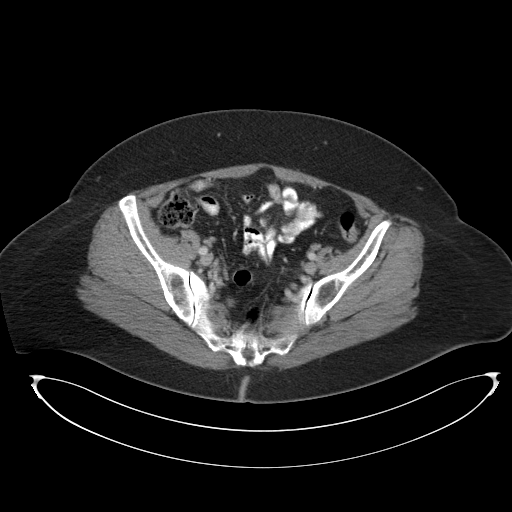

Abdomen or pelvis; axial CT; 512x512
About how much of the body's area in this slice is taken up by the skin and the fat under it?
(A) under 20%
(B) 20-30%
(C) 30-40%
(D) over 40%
(D) over 40%
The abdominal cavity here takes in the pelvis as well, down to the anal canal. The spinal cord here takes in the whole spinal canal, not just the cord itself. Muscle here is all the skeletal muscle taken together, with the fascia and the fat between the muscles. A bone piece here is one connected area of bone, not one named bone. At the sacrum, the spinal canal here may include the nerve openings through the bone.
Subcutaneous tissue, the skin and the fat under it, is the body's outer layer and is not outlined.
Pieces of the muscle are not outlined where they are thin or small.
The spinal cord appears in 3 outlined pieces: piece 1: (246, 348) (248, 348) (249, 349) (251, 349) (251, 350) (252, 351) (252, 353) (251, 354) (251, 356) (250, 357) (248, 357) (247, 356) (246, 356) (245, 355) (244, 355) (244, 354) (243, 353) (243, 350) (244, 349) (245, 349); piece 2: (268, 330) (269, 330) (270, 330) (271, 330) (272, 331) (272, 332) (272, 333) (272, 334) (271, 335) (270, 335) (269, 336) (268, 336) (267, 336) (266, 335) (266, 334) (266, 333) (267, 332) (267, 331); piece 3: (224, 329) (225, 329) (226, 329) (227, 329) (228, 330) (229, 331) (229, 332) (229, 333) (229, 334) (228, 335) (227, 335) (226, 335) (225, 334) (224, 333) (223, 332) (223, 331) (223, 330). The bones are outlined by (128, 194) (135, 195) (143, 230) (160, 257) (192, 270) (241, 321) (263, 319) (308, 283) (343, 270) (376, 225) (384, 219) (391, 224) (371, 264) (287, 353) (270, 353) (260, 364) (241, 366) (227, 352) (208, 347) (167, 303) (153, 266) (134, 242) (117, 207) (118, 200), around a hole outlined by (246, 348) (248, 348) (249, 349) (251, 349) (251, 350) (252, 351) (252, 353) (251, 354) (251, 356) (250, 357) (248, 357) (247, 356) (246, 356) (245, 355) (244, 355) (244, 354) (243, 353) (243, 350) (244, 349) (245, 349). The abdominal cavity is outlined by (262, 168) (271, 169) (281, 180) (342, 192) (353, 201) (365, 224) (360, 239) (350, 248) (322, 246) (315, 256) (318, 277) (263, 318) (250, 321) (238, 318) (190, 269) (200, 242) (198, 232) (183, 227) (175, 235) (164, 234) (150, 211) (169, 190) (189, 180) (241, 178). The muscle appears in 2 outlined pieces: piece 1: (256, 162) (335, 183) (423, 228) (423, 267) (413, 320) (296, 367) (281, 371) (250, 368) (262, 364) (270, 354) (283, 356) (291, 350) (372, 264) (392, 224) (389, 218) (382, 219) (347, 266) (319, 277) (319, 250) (324, 246) (348, 250) (365, 230) (347, 194) (331, 186) (281, 179) (267, 167) (241, 177) (198, 176) (169, 189) (149, 211) (164, 235) (175, 236) (183, 228) (199, 235) (189, 269) (167, 261) (148, 238) (136, 195) (131, 193) (198, 172); piece 2: (117, 200) (116, 207) (124, 221) (129, 235) (139, 251) (152, 266) (159, 281) (164, 299) (174, 314) (199, 336) (213, 352) (225, 352) (237, 366) (249, 367) (215, 370) (188, 364) (98, 316) (77, 301) (76, 281) (87, 262) (87, 252) (92, 237) (92, 229) (100, 214). The torso is outlined by (231, 108) (293, 110) (337, 118) (382, 136) (415, 158) (452, 197) (459, 217) (495, 241) (511, 259) (511, 333) (497, 341) (454, 349) (361, 388) (281, 403) (187, 395) (55, 348) (18, 353) (0, 293) (0, 251) (5, 245) (62, 203) (82, 173) (117, 143) (168, 119).